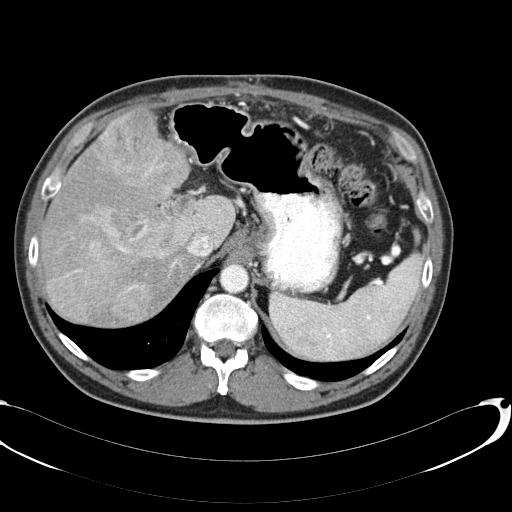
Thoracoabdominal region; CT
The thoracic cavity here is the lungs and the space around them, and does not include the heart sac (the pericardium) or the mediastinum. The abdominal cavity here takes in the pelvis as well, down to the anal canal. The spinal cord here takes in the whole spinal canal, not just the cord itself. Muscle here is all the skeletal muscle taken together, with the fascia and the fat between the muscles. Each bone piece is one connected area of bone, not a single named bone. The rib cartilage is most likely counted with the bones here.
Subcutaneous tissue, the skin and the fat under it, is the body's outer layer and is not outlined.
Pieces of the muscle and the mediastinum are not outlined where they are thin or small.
{"abdominal_cavity":[[[247,94],[375,130],[409,163],[426,239],[421,286],[407,326],[359,359],[298,359],[263,325],[259,327],[250,302],[250,270],[230,255],[192,277],[163,310],[139,324],[99,328],[60,317],[46,303],[42,289],[40,226],[62,174],[100,124],[131,108]]],"torso":[[[246,73],[293,74],[331,82],[385,103],[417,128],[433,159],[453,221],[450,275],[437,323],[411,369],[389,393],[344,413],[286,423],[222,424],[158,417],[96,400],[56,368],[23,311],[15,277],[13,234],[25,184],[56,133],[101,95],[161,76]]],"mediastinum":[[[227,256],[230,256],[241,260],[245,263],[249,270],[249,275],[250,276],[249,301],[244,300],[233,294],[225,292],[218,292],[211,295],[206,295],[203,300],[200,302],[200,300],[203,297],[212,278],[218,271],[216,268],[212,268],[216,264],[221,262]]],"thoracic_cavity":[[[211,269],[216,269],[217,271],[211,278],[199,300],[199,303],[193,313],[190,327],[181,347],[173,357],[155,367],[114,369],[99,363],[58,328],[46,307],[47,304],[60,318],[71,324],[99,329],[128,328],[144,323],[157,316],[166,308],[192,278]],[[261,326],[262,327],[263,326],[266,329],[271,339],[284,352],[298,360],[316,363],[346,362],[365,358],[385,347],[404,329],[406,328],[406,330],[398,343],[387,349],[361,371],[343,379],[327,381],[298,374],[283,365],[267,349],[260,332]]],"muscle":[{"outer":[[247,85],[325,98],[394,125],[419,145],[440,209],[443,254],[434,296],[415,345],[405,361],[383,380],[309,409],[260,412],[226,395],[229,376],[248,363],[246,343],[259,328],[266,349],[283,366],[282,377],[298,390],[313,390],[321,385],[320,381],[339,381],[360,372],[367,376],[389,361],[406,333],[420,288],[427,288],[432,280],[433,261],[429,255],[426,257],[424,245],[426,225],[434,221],[433,204],[422,187],[418,191],[410,167],[418,158],[414,147],[393,129],[390,133],[396,148],[375,129],[252,93],[186,99],[161,107],[136,106],[106,117],[62,173],[59,162],[45,177],[39,195],[47,203],[39,233],[29,239],[28,263],[33,268],[37,265],[45,307],[58,329],[57,336],[78,358],[86,362],[94,360],[114,370],[127,370],[124,374],[128,378],[147,381],[162,372],[156,367],[176,355],[191,328],[201,340],[201,365],[216,372],[218,394],[188,405],[168,406],[114,391],[60,355],[38,324],[26,282],[23,253],[27,212],[37,182],[64,136],[95,111],[139,95],[170,89]],"hole":[[91,121],[93,122],[93,127],[91,129],[90,132],[85,138],[84,141],[80,143],[77,146],[76,146],[67,155],[64,156],[63,154],[64,153],[64,151],[65,150],[66,145],[68,143],[70,139],[73,136],[74,133],[84,124],[88,122],[90,122]]}],"bones":[{"outer":[[218,293],[233,295],[249,302],[258,317],[258,330],[245,343],[248,361],[245,366],[230,372],[227,379],[228,390],[225,395],[221,395],[217,391],[219,379],[216,370],[211,366],[202,365],[200,360],[202,340],[191,327],[191,322],[198,305],[206,296]],"hole":[[222,339],[227,339],[233,342],[233,343],[236,347],[235,349],[235,352],[233,355],[231,356],[229,356],[228,357],[220,357],[216,355],[216,353],[213,348],[213,345],[216,341],[218,341]]},[[59,163],[61,164],[61,167],[62,168],[62,171],[60,176],[60,185],[59,186],[59,188],[53,195],[53,196],[52,196],[48,200],[45,201],[41,198],[41,196],[40,195],[41,188],[42,187],[43,182],[46,177],[49,175],[53,170],[54,167]],[[284,366],[289,370],[294,372],[298,375],[305,376],[315,380],[318,380],[320,382],[320,385],[313,389],[310,389],[309,390],[303,390],[302,389],[298,389],[294,387],[291,384],[288,383],[283,377],[283,372],[284,371],[283,370],[283,367]],[[421,188],[423,189],[426,195],[430,199],[431,203],[432,204],[432,208],[433,209],[433,221],[431,223],[429,223],[428,224],[426,224],[425,223],[424,219],[422,216],[422,214],[420,212],[420,210],[416,204],[416,199],[418,196],[418,192]],[[392,130],[397,132],[400,135],[401,135],[404,138],[405,138],[413,147],[413,148],[416,153],[416,156],[417,157],[417,158],[416,159],[416,161],[414,163],[412,163],[411,162],[406,160],[400,153],[400,151],[396,144],[396,142],[391,133],[391,131]],[[91,121],[93,122],[93,127],[91,129],[90,132],[85,138],[84,141],[80,143],[77,146],[76,146],[67,155],[64,156],[63,154],[64,153],[64,151],[65,150],[66,145],[68,143],[70,139],[73,136],[74,133],[84,124],[88,122],[90,122]],[[397,344],[398,344],[398,348],[396,352],[392,356],[392,357],[382,366],[381,366],[378,369],[377,369],[370,374],[365,375],[361,373],[361,372],[363,370],[364,370],[368,366],[369,366],[375,360],[376,360],[387,350],[388,350],[390,348],[393,347]],[[147,368],[158,368],[161,371],[161,372],[158,375],[157,375],[156,376],[155,376],[150,379],[148,379],[147,380],[144,380],[143,381],[138,381],[137,380],[134,380],[133,379],[128,377],[125,374],[125,373],[128,370],[131,370],[132,369],[146,369]],[[59,330],[61,332],[65,334],[70,339],[71,339],[88,356],[89,356],[92,359],[92,360],[90,360],[89,361],[86,361],[85,360],[83,360],[81,358],[78,357],[71,351],[70,351],[66,347],[66,346],[62,342],[62,341],[58,336],[58,331]],[[33,235],[36,235],[36,236],[37,237],[37,240],[38,241],[38,246],[37,247],[37,264],[36,265],[36,266],[35,266],[34,267],[33,267],[30,265],[30,264],[29,263],[29,260],[28,259],[28,250],[29,249],[29,243],[30,242],[30,239]],[[428,256],[429,256],[431,258],[431,260],[432,261],[432,276],[431,277],[431,280],[430,281],[430,283],[429,284],[429,285],[427,287],[426,287],[425,288],[422,286],[422,275],[423,274],[423,270],[424,269],[424,264],[425,263],[426,258]]],"spinal_cord":[[[222,339],[227,339],[233,342],[233,343],[236,347],[235,349],[235,352],[233,355],[231,356],[229,356],[228,357],[220,357],[216,355],[216,353],[213,348],[213,345],[216,341],[218,341]]]}